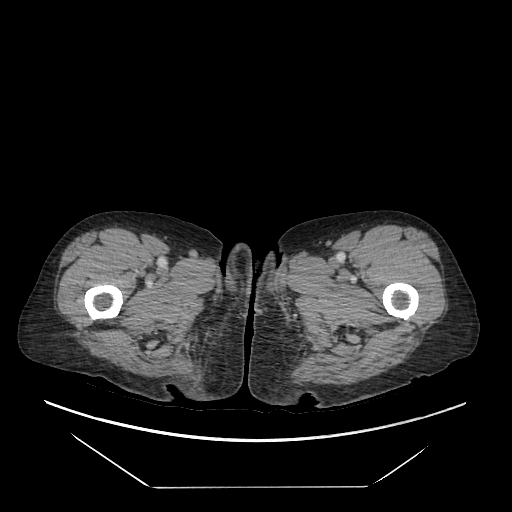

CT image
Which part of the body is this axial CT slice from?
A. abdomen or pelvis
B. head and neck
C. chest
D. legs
D. legs
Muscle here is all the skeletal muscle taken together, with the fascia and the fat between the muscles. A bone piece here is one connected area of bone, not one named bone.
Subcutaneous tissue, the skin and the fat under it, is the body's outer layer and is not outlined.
Outlined structures:
left leg: 380,209 416,215 442,235 475,299 480,321 475,349 431,377 416,377 409,385 348,405 319,409 309,394 304,394 298,404 285,406 263,403 254,398 247,384 255,297 253,260 275,248 280,236 298,223 322,216
right leg: 109,210 166,214 206,228 224,245 220,262 223,271 231,247 238,241 249,244 253,259 244,370 235,394 195,401 169,385 176,398 161,401 125,390 103,377 37,363 21,352 16,337 18,318 50,250 75,223
bones 1: 96,284 112,284 115,286 117,286 120,289 123,297 123,302 122,303 120,311 115,317 113,317 112,318 99,318 98,319 95,319 93,320 91,319 89,316 84,305 84,301 83,300 84,298 84,294 86,290
bones 2: 393,282 405,282 406,283 408,283 412,285 418,292 419,301 418,302 417,308 415,312 412,315 411,315 407,320 405,320 400,317 396,317 389,314 383,305 383,303 382,302 382,293 383,292 383,290 388,284
muscle 1: 379,224 413,226 426,232 433,240 443,265 448,303 447,311 428,329 405,360 385,372 356,383 342,385 291,383 289,381 290,373 305,350 305,337 285,287 285,272 290,256 301,251 318,251 332,244 343,233; inner edge: 393,282 405,282 406,283 408,283 412,285 418,292 419,301 418,302 417,308 415,312 412,315 411,315 407,320 405,320 400,317 396,317 389,314 383,305 383,303 382,302 382,293 383,292 383,290 388,284
muscle 2: 112,226 143,230 155,234 183,256 211,257 215,260 211,291 204,308 193,322 188,336 191,356 195,364 195,377 193,379 141,376 92,356 80,334 54,308 53,290 62,252 75,237 82,233 95,228, around a hole outlined by 96,284 112,284 115,286 117,286 120,289 123,297 123,302 122,303 120,311 115,317 113,317 112,318 99,318 98,319 95,319 93,320 91,319 89,316 84,305 84,301 83,300 84,298 84,294 86,290